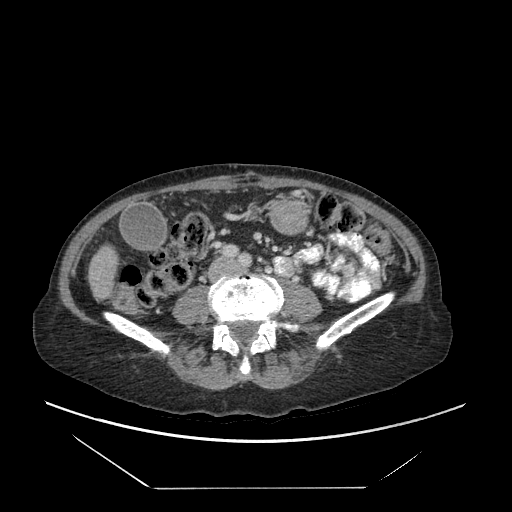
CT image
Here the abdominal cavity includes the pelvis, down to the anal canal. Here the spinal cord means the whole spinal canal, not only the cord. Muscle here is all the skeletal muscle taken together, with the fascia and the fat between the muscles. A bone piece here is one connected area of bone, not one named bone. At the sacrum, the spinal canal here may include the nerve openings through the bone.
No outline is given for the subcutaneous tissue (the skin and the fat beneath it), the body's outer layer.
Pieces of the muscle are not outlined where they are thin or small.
The torso is outlined by 228 162; 290 165; 329 173; 373 191; 409 216; 426 235; 437 257; 442 299; 453 327; 445 359; 391 389; 276 417; 175 414; 153 409; 106 394; 45 363; 33 343; 32 312; 48 287; 62 244; 81 218; 104 198; 138 180; 183 167. The bones appear in 3 outlined pieces: piece 1: 251 273; 265 274; 277 280; 283 289; 284 301; 275 318; 297 323; 300 328; 297 332; 277 328; 275 347; 249 354; 250 371; 243 374; 239 370; 240 353; 234 356; 220 348; 212 348; 212 325; 216 320; 207 292; 224 275; 247 276, around a hole outlined by 237 321; 251 321; 252 322; 256 322; 258 324; 257 325; 257 328; 255 332; 253 334; 253 335; 252 335; 246 341; 246 342; 241 342; 237 338; 235 338; 233 336; 233 333; 231 330; 231 327; 230 326; 230 324; 231 323; 233 323; piece 2: 389 290; 395 291; 396 292; 396 296; 387 307; 382 311; 366 322; 355 327; 350 333; 345 334; 338 338; 333 342; 327 349; 323 351; 319 351; 315 348; 315 341; 317 337; 323 332; 332 322; 348 312; 357 308; 359 306; piece 3: 103 310; 109 310; 112 312; 117 313; 151 331; 157 337; 170 346; 170 354; 167 355; 165 357; 163 357; 159 353; 147 347; 141 342; 135 340; 131 337; 129 337; 122 333; 120 333; 116 330; 111 324; 106 321; 102 317; 101 312. The abdominal cavity is outlined by 245 186; 320 190; 379 219; 414 279; 402 295; 389 289; 314 321; 323 309; 310 287; 281 285; 265 273; 224 274; 178 297; 171 314; 183 327; 167 331; 109 309; 100 312; 106 322; 93 318; 71 295; 86 243; 130 204; 176 190. The spinal cord is outlined by 237 321; 251 321; 252 322; 256 322; 258 324; 257 325; 257 328; 255 332; 253 334; 253 335; 252 335; 246 341; 246 342; 241 342; 237 338; 235 338; 233 336; 233 333; 231 330; 231 327; 230 326; 230 324; 231 323; 233 323. The muscle appears in 2 outlined pieces: piece 1: 284 281; 308 287; 316 295; 322 310; 314 322; 337 318; 316 337; 314 348; 327 350; 303 381; 281 389; 242 381; 226 389; 210 390; 179 379; 149 349; 163 358; 171 354; 171 346; 143 326; 167 332; 183 328; 172 307; 187 290; 203 285; 215 320; 211 325; 211 348; 234 357; 240 354; 238 370; 248 375; 249 355; 274 349; 277 329; 297 333; 301 328; 297 322; 276 318; 285 301; piece 2: 238 173; 307 179; 361 196; 391 213; 415 236; 424 256; 426 282; 420 302; 399 306; 370 320; 397 296; 402 296; 415 280; 406 272; 407 260; 401 245; 379 218; 344 197; 320 189; 294 185; 274 188; 245 185; 218 189; 176 189; 158 193; 130 203; 102 224; 83 247; 70 283; 70 295; 91 318; 107 322; 119 333; 79 319; 61 302; 58 277; 71 240; 92 217; 112 203; 135 193.